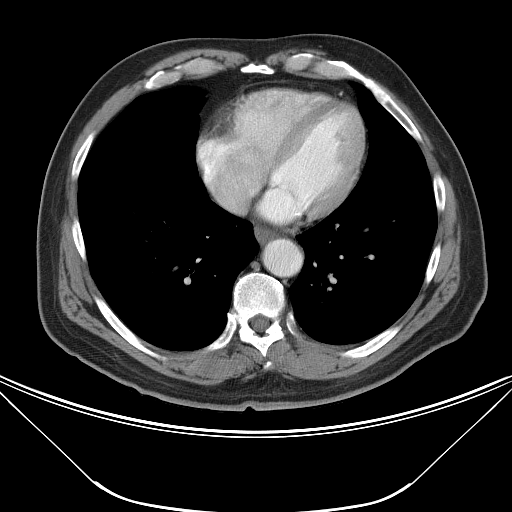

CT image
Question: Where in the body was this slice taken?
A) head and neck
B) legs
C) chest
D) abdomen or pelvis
Answer: C) chest
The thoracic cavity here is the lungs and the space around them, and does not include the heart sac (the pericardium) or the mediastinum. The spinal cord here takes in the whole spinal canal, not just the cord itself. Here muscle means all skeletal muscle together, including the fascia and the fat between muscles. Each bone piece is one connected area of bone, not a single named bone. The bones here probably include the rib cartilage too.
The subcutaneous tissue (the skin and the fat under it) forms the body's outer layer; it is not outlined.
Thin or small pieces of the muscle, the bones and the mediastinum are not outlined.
The mediastinum appears in 2 outlined pieces: piece 1: (241, 218) (251, 219) (266, 226) (281, 230) (290, 235) (296, 235) (295, 238) (304, 250) (304, 261) (297, 277) (287, 290) (287, 297) (283, 284) (278, 279) (267, 273) (250, 271) (237, 279) (239, 273) (248, 265) (259, 251) (259, 245) (254, 236) (252, 224) (249, 221); piece 2: (227, 68) (239, 68) (242, 73) (271, 75) (280, 69) (313, 79) (353, 79) (350, 84) (356, 89) (357, 104) (340, 89) (321, 82) (254, 81) (240, 85) (222, 98) (207, 115) (199, 135) (199, 112) (205, 103) (202, 89) (174, 86) (152, 90) (181, 79) (200, 79). The thoracic cavity appears in 2 outlined pieces: piece 1: (174, 87) (194, 87) (204, 92) (204, 103) (198, 112) (195, 144) (198, 175) (212, 202) (251, 224) (258, 245) (257, 253) (236, 277) (231, 306) (220, 334) (204, 347) (187, 351) (167, 350) (144, 341) (106, 302) (90, 272) (77, 202) (78, 178) (100, 132) (135, 96); piece 2: (352, 81) (358, 81) (368, 89) (417, 142) (431, 177) (437, 212) (433, 244) (416, 297) (393, 324) (354, 347) (328, 344) (307, 335) (297, 324) (287, 302) (288, 290) (305, 261) (305, 250) (296, 236) (317, 224) (346, 199) (360, 179) (368, 157) (368, 130). The torso is outlined by (298, 33) (349, 36) (386, 53) (409, 76) (455, 143) (479, 206) (488, 274) (485, 299) (469, 328) (375, 389) (291, 410) (258, 412) (247, 407) (227, 412) (171, 404) (125, 387) (67, 354) (50, 339) (39, 317) (36, 231) (52, 152) (82, 97) (115, 63) (158, 42). The spinal cord is outlined by (258, 314) (260, 314) (261, 315) (268, 318) (270, 321) (270, 322) (269, 323) (269, 325) (264, 330) (264, 331) (261, 333) (259, 333) (258, 332) (255, 331) (251, 327) (251, 325) (250, 324) (250, 319) (251, 319) (253, 317) (254, 317) (256, 315) (257, 315). The bones appear in 10 outlined pieces: piece 1: (250, 272) (267, 274) (282, 284) (287, 308) (293, 312) (301, 337) (292, 335) (283, 319) (280, 324) (284, 339) (274, 341) (268, 347) (265, 356) (253, 345) (241, 341) (236, 332) (225, 346) (211, 351) (204, 350) (221, 334) (226, 325) (227, 313) (232, 306) (235, 283); inner edge: (258, 314) (260, 314) (261, 315) (268, 318) (270, 321) (270, 322) (269, 323) (269, 325) (264, 330) (264, 331) (261, 333) (259, 333) (258, 332) (255, 331) (251, 327) (251, 325) (250, 324) (250, 319) (251, 319) (253, 317) (254, 317) (256, 315) (257, 315); piece 2: (302, 52) (312, 53) (319, 59) (343, 60) (364, 75) (371, 78) (389, 94) (407, 115) (419, 132) (422, 141) (417, 141) (376, 99) (372, 92) (360, 81) (348, 77) (322, 77) (313, 72) (309, 67) (303, 70) (286, 70) (283, 65) (284, 59) (292, 54); piece 3: (197, 57) (213, 59) (215, 61) (222, 64) (224, 68) (222, 70) (208, 75) (184, 74) (179, 80) (173, 83) (170, 83) (151, 90) (143, 90) (140, 88) (140, 86) (141, 87) (142, 86) (143, 81) (150, 77) (157, 71) (159, 70) (171, 70) (174, 66); piece 4: (94, 296) (97, 296) (102, 298) (111, 310) (116, 315) (116, 316) (142, 341) (143, 344) (145, 346) (151, 350) (166, 357) (166, 358) (164, 360) (162, 360) (161, 359) (158, 359) (155, 357) (153, 357) (138, 349) (128, 342) (110, 325) (110, 324) (100, 312) (94, 300); piece 5: (394, 324) (395, 325) (400, 324) (401, 325) (400, 329) (392, 338) (373, 352) (368, 354) (366, 356) (363, 356) (362, 357) (356, 357) (355, 358) (352, 358) (351, 357) (344, 357) (340, 355) (340, 352) (345, 351) (351, 348) (357, 347) (365, 343) (368, 340) (373, 338); piece 6: (92, 131) (95, 131) (95, 136) (94, 137) (94, 139) (88, 150) (88, 152) (85, 157) (85, 159) (81, 166) (81, 168) (80, 169) (77, 180) (74, 180) (72, 179) (72, 177) (71, 176) (72, 166) (73, 165) (74, 159) (82, 143) (84, 141) (88, 134); piece 7: (437, 172) (439, 173) (443, 181) (444, 187) (445, 188) (445, 204) (444, 205) (444, 209) (442, 211) (440, 211) (439, 212) (437, 211) (437, 208) (436, 207) (436, 201) (435, 200) (434, 190) (433, 189) (433, 184) (432, 183) (432, 178) (433, 177) (433, 175); piece 8: (74, 216) (76, 216) (78, 218) (78, 221) (79, 222) (79, 225) (80, 226) (80, 229) (83, 238) (83, 242) (85, 247) (85, 253) (86, 254) (86, 259) (87, 260) (86, 262) (82, 259) (75, 245) (73, 239) (73, 236) (71, 231) (71, 225); piece 9: (437, 243) (440, 243) (441, 244) (441, 246) (440, 247) (440, 254) (439, 255) (438, 263) (437, 264) (435, 272) (430, 282) (428, 284) (426, 284) (424, 283) (424, 278) (425, 277) (426, 268) (427, 267) (427, 265) (429, 261) (429, 258) (430, 257) (432, 249) (433, 247); piece 10: (252, 61) (256, 64) (259, 64) (260, 63) (263, 63) (264, 64) (266, 64) (267, 65) (272, 67) (275, 70) (275, 71) (271, 74) (265, 74) (264, 73) (259, 73) (258, 72) (242, 72) (240, 70) (240, 67) (241, 66) (242, 66) (243, 65) (245, 65). The muscle is outlined by (191, 48) (237, 51) (260, 60) (281, 50) (314, 48) (332, 58) (319, 58) (307, 51) (296, 52) (283, 59) (284, 70) (252, 60) (239, 67) (225, 68) (213, 58) (193, 57) (171, 69) (159, 69) (144, 79) (139, 86) (142, 91) (96, 136) (95, 130) (87, 134) (71, 166) (71, 179) (77, 181) (77, 216) (72, 217) (70, 231) (102, 296) (93, 296) (99, 312) (128, 343) (162, 361) (167, 357) (143, 341) (172, 352) (202, 348) (211, 352) (225, 347) (235, 333) (241, 342) (253, 346) (265, 357) (274, 342) (285, 339) (283, 320) (288, 332) (296, 338) (302, 337) (297, 325) (318, 342) (352, 346) (339, 352) (344, 358) (366, 357) (392, 339) (402, 327) (395, 323) (413, 303) (423, 282) (428, 285) (436, 272) (442, 244) (433, 245) (438, 213) (445, 209) (446, 188) (439, 172) (431, 176) (418, 144) (423, 138) (417, 127) (373, 78) (410, 109) (427, 134) (452, 186) (461, 228) (460, 282) (452, 298) (432, 319) (389, 354) (357, 373) (296, 381) (267, 371) (241, 383) (198, 384) (150, 368) (70, 320) (61, 310) (57, 293) (60, 224) (73, 144) (113, 93) (157, 61) with a hole at (267, 360) (268, 360) (269, 360) (270, 361) (271, 362) (271, 363) (271, 364) (271, 365) (270, 366) (270, 367) (269, 368) (268, 368) (267, 369) (266, 369) (265, 369) (264, 368) (263, 367) (263, 366) (264, 365) (264, 364) (265, 363) (266, 362) (266, 361). The pericardium is outlined by (267, 80) (295, 80) (321, 83) (336, 88) (355, 102) (366, 128) (367, 150) (365, 163) (356, 184) (335, 209) (317, 223) (297, 234) (290, 234) (251, 218) (240, 217) (218, 205) (206, 189) (198, 172) (196, 163) (196, 144) (206, 119) (214, 107) (228, 94) (240, 86).